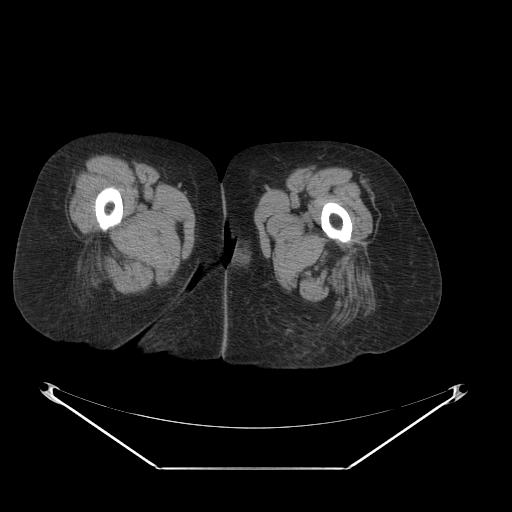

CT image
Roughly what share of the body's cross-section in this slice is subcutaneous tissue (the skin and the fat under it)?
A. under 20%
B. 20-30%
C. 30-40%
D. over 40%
Answer: D. over 40%
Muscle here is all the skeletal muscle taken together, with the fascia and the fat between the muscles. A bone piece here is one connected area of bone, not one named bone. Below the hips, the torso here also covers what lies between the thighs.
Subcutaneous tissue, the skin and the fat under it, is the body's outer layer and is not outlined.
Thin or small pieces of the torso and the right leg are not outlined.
Outlined structures:
muscle 1: (310, 164) (318, 167) (340, 166) (359, 171) (369, 180) (373, 191) (380, 216) (375, 237) (367, 247) (375, 298) (375, 309) (367, 322) (346, 325) (335, 323) (328, 319) (325, 307) (305, 303) (284, 294) (275, 283) (261, 251) (253, 219) (261, 195) (280, 188) (295, 168), around a hole outlined by (328, 201) (333, 201) (334, 202) (338, 203) (347, 211) (350, 217) (350, 219) (352, 222) (352, 231) (351, 232) (351, 239) (349, 242) (346, 242) (344, 243) (338, 240) (332, 239) (328, 237) (322, 229) (321, 227) (321, 220) (320, 219) (321, 210) (324, 203)
muscle 2: (102, 153) (155, 165) (170, 184) (185, 194) (193, 208) (195, 227) (191, 254) (173, 281) (165, 287) (123, 297) (110, 291) (106, 285) (103, 285) (96, 295) (91, 296) (84, 295) (79, 287) (76, 277) (77, 252) (81, 244) (68, 224) (65, 201) (74, 166) (94, 154) with a hole at (109, 186) (113, 186) (119, 190) (122, 199) (123, 214) (122, 215) (122, 218) (118, 224) (110, 227) (106, 231) (103, 231) (100, 228) (99, 224) (96, 219) (96, 215) (94, 209) (94, 204) (95, 203) (95, 198) (97, 194) (102, 189) (105, 187) (108, 187)
left leg: (288, 140) (335, 140) (363, 146) (389, 161) (406, 182) (433, 242) (442, 277) (441, 301) (433, 321) (425, 330) (407, 343) (385, 353) (364, 354) (304, 341) (271, 326) (257, 313) (243, 294) (230, 262) (234, 241) (229, 237) (221, 180) (228, 161) (238, 151) (256, 144)
right leg: (107, 130) (161, 136) (187, 144) (203, 153) (212, 162) (220, 181) (226, 224) (223, 256) (201, 273) (199, 270) (164, 314) (147, 330) (122, 346) (103, 351) (83, 343) (55, 342) (34, 330) (15, 305) (12, 270) (21, 222) (35, 180) (45, 161) (69, 140) (87, 133)
torso: (222, 258) (225, 266) (229, 261) (242, 294) (256, 313) (271, 327) (304, 342) (363, 355) (350, 363) (330, 368) (270, 370) (254, 366) (234, 366) (221, 359) (190, 361) (161, 352) (140, 353) (135, 348) (137, 340) (135, 339) (165, 314) (191, 282) (193, 284) (200, 274)
bones 1: (328, 201) (333, 201) (334, 202) (338, 203) (347, 211) (350, 217) (350, 219) (352, 222) (352, 231) (351, 232) (351, 239) (349, 242) (346, 242) (344, 243) (338, 240) (332, 239) (328, 237) (322, 229) (321, 227) (321, 220) (320, 219) (321, 210) (324, 203)
bones 2: (109, 186) (113, 186) (119, 190) (122, 199) (123, 214) (122, 215) (122, 218) (118, 224) (110, 227) (106, 231) (103, 231) (100, 228) (99, 224) (96, 219) (96, 215) (94, 209) (94, 204) (95, 203) (95, 198) (97, 194) (102, 189) (105, 187) (108, 187)